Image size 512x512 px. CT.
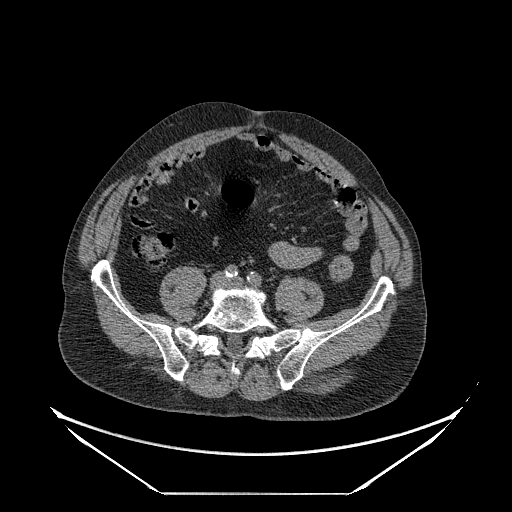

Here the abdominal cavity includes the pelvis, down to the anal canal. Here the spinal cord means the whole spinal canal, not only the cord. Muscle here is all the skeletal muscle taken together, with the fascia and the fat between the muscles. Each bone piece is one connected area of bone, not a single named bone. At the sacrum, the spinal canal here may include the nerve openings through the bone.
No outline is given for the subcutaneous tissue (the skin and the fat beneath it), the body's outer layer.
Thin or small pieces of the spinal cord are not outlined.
{"abdominal_cavity":[[[241,132],[280,139],[369,202],[372,280],[357,305],[310,320],[324,305],[321,286],[286,276],[273,297],[292,327],[278,329],[267,295],[247,285],[214,288],[197,322],[206,278],[189,265],[159,284],[174,320],[125,297],[114,261],[132,186],[162,160]]],"bones":[{"outer":[[103,258],[126,307],[173,328],[200,321],[219,287],[262,291],[263,311],[278,330],[340,325],[367,302],[381,275],[395,293],[316,348],[289,390],[276,375],[286,348],[240,359],[235,375],[229,358],[176,339],[189,363],[179,382],[149,334],[90,279]],"hole":[[230,334],[237,334],[241,336],[244,342],[244,345],[243,346],[243,352],[242,353],[240,353],[239,354],[236,354],[234,355],[228,351],[228,349],[226,345],[226,342],[229,338],[229,336]]}],"spinal_cord":[[[230,334],[237,334],[241,336],[244,342],[244,345],[243,346],[243,352],[242,353],[240,353],[239,354],[236,354],[234,355],[228,351],[228,349],[226,345],[226,342],[229,338],[229,336]]],"torso":[[[204,101],[233,102],[258,111],[301,112],[322,121],[368,156],[408,216],[421,251],[426,341],[409,387],[395,400],[353,417],[327,421],[196,415],[117,399],[86,385],[66,367],[57,342],[64,300],[61,276],[80,210],[108,169],[141,134],[174,111]]],"muscle":[[[232,126],[270,127],[327,152],[383,200],[410,243],[413,281],[399,301],[388,332],[365,357],[356,377],[334,393],[306,394],[292,390],[293,386],[303,377],[316,349],[383,308],[387,297],[396,293],[394,283],[388,275],[381,274],[361,308],[334,327],[293,327],[280,313],[274,294],[286,277],[303,277],[320,286],[323,305],[307,318],[310,321],[357,306],[373,280],[370,259],[376,236],[370,202],[360,190],[267,133],[241,131],[160,160],[137,178],[119,210],[120,231],[113,266],[124,297],[142,314],[151,312],[174,321],[160,300],[160,284],[177,267],[197,268],[205,278],[205,286],[192,306],[197,313],[195,323],[173,327],[134,314],[121,298],[111,264],[104,257],[93,264],[89,279],[148,334],[159,350],[164,371],[174,381],[183,382],[190,366],[176,340],[204,356],[229,359],[230,372],[235,376],[241,373],[240,360],[262,360],[286,349],[275,369],[284,392],[261,401],[242,398],[234,391],[210,398],[157,380],[132,363],[99,324],[78,259],[78,246],[87,216],[101,193],[170,145],[200,132]]]}